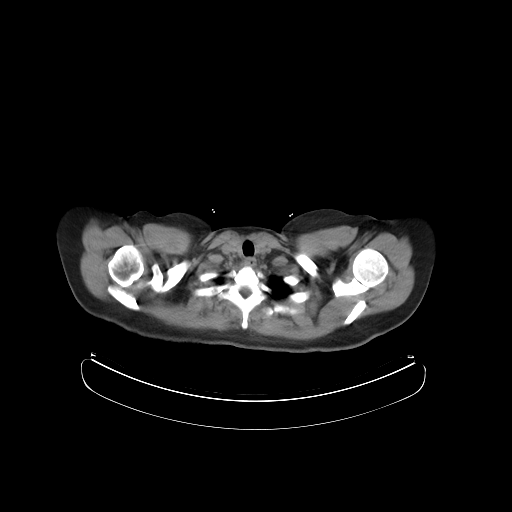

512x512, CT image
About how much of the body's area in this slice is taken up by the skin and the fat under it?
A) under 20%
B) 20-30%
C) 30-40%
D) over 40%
Answer: C) 30-40%
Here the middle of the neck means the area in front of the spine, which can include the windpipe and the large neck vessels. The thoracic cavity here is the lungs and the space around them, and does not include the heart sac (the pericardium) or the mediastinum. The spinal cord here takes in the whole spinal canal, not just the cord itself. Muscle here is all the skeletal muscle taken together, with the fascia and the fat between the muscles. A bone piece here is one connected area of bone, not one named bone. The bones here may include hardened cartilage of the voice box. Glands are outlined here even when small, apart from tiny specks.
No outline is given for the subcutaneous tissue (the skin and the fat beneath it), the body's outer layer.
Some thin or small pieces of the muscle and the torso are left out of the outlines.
Outlines:
thoracic cavity 1: (270, 276) (279, 276) (281, 277) (282, 278) (282, 281) (290, 288) (290, 290) (291, 292) (290, 292) (286, 296) (284, 297) (274, 297) (272, 295) (271, 295) (272, 293) (272, 289) (271, 287) (269, 286) (266, 283) (268, 281) (268, 279)
thoracic cavity 2: (224, 271) (227, 271) (227, 272) (226, 273) (224, 273) (222, 275) (222, 276) (223, 277) (224, 277) (224, 281) (222, 283) (217, 283) (217, 282) (216, 281) (214, 281) (214, 279) (216, 279) (220, 276) (220, 275) (221, 274) (220, 273) (220, 272) (223, 272)
muscle: (93, 217) (105, 226) (126, 221) (179, 227) (201, 246) (227, 230) (262, 231) (288, 244) (299, 234) (339, 225) (406, 235) (414, 285) (396, 308) (358, 319) (367, 307) (358, 298) (342, 321) (345, 326) (315, 339) (251, 333) (249, 314) (270, 294) (300, 304) (311, 291) (292, 291) (300, 281) (294, 274) (270, 275) (265, 282) (254, 267) (271, 248) (261, 240) (233, 239) (220, 251) (241, 266) (201, 273) (201, 282) (216, 283) (192, 293) (229, 301) (241, 313) (243, 330) (178, 328) (140, 312) (128, 289) (148, 286) (165, 293) (190, 261) (175, 263) (165, 277) (154, 262) (151, 277) (143, 281) (142, 253) (133, 243) (119, 246) (106, 264) (116, 284) (106, 290) (117, 301) (108, 303) (87, 289) (80, 272) (81, 232), around holes outlined by (366, 247) (372, 248) (378, 251) (386, 259) (388, 263) (388, 273) (385, 279) (376, 286) (372, 287) (357, 295) (335, 296) (332, 289) (332, 284) (337, 279) (340, 279) (344, 282) (349, 282) (352, 279) (353, 277) (353, 272) (352, 271) (353, 260) (357, 253) (361, 249) and by (298, 252) (302, 252) (303, 253) (304, 253) (307, 256) (308, 256) (315, 263) (315, 264) (317, 266) (317, 272) (318, 273) (318, 275) (316, 277) (313, 277) (309, 273) (308, 273) (296, 261) (296, 260) (295, 259) (295, 258) (294, 257) (294, 256) (295, 255) (295, 254) and by (274, 304) (280, 304) (281, 305) (284, 305) (289, 307) (297, 308) (300, 310) (300, 312) (293, 315) (291, 315) (288, 313) (280, 313) (279, 312) (274, 312) (271, 315) (268, 316) (266, 315) (264, 311) (264, 308) (266, 306) (268, 306) (269, 305) (270, 306) (272, 306)
middle of the neck: (246, 238) (254, 241) (254, 248) (257, 254) (263, 252) (265, 247) (264, 243) (266, 243) (270, 248) (270, 251) (265, 258) (253, 267) (249, 264) (242, 265) (234, 263) (226, 258) (221, 251) (221, 246) (230, 242) (229, 244) (234, 252) (238, 253) (240, 251) (241, 241)
thyroid glands 1: (256, 241) (261, 241) (262, 242) (263, 242) (263, 246) (264, 247) (263, 248) (263, 250) (262, 251) (262, 252) (261, 253) (257, 253) (256, 252) (256, 249) (255, 248) (255, 242)
thyroid glands 2: (233, 240) (239, 240) (240, 241) (240, 243) (239, 244) (239, 248) (238, 249) (239, 250) (239, 251) (238, 252) (235, 252) (235, 251) (234, 250) (234, 249) (232, 247) (232, 245) (231, 244) (230, 244) (231, 243) (231, 242)
torso: (319, 208) (367, 214) (347, 251) (348, 269) (365, 290) (399, 303) (422, 299) (405, 322) (361, 346) (289, 353) (167, 342) (94, 317) (75, 299) (118, 299) (150, 283) (155, 272) (152, 245) (130, 214) (139, 210) (189, 212) (213, 229) (255, 225) (278, 231) (290, 214)
right arm: (77, 202) (91, 202) (114, 209) (124, 215) (130, 215) (137, 225) (145, 233) (150, 242) (154, 256) (154, 272) (151, 280) (142, 290) (134, 294) (118, 298) (93, 298) (92, 297) (74, 297) (73, 296) (60, 261) (55, 239) (55, 229) (60, 213) (67, 206)
spinal cord: (244, 287) (245, 287) (246, 288) (247, 288) (248, 289) (249, 289) (249, 290) (250, 291) (250, 294) (248, 296) (247, 296) (246, 297) (244, 297) (241, 294) (241, 293) (240, 292) (240, 290) (242, 288) (243, 288)
left arm: (403, 213) (417, 213) (427, 217) (432, 222) (434, 226) (437, 238) (437, 251) (435, 262) (426, 292) (422, 298) (408, 302) (399, 302) (385, 299) (368, 291) (353, 277) (348, 265) (348, 251) (350, 244) (354, 238) (355, 232) (359, 224) (368, 214) (377, 218) (387, 218)
bones 1: (125, 244) (133, 244) (142, 255) (139, 280) (143, 282) (152, 277) (154, 263) (165, 278) (175, 264) (183, 260) (190, 263) (181, 279) (165, 292) (155, 292) (148, 285) (128, 288) (140, 307) (138, 311) (124, 306) (107, 290) (109, 285) (117, 284) (107, 264) (116, 249)
bones 2: (245, 265) (249, 265) (255, 271) (261, 271) (264, 274) (263, 281) (270, 287) (271, 293) (249, 312) (247, 328) (244, 330) (241, 327) (242, 313) (237, 306) (227, 299) (220, 300) (215, 295) (198, 296) (193, 291) (196, 288) (228, 282) (231, 279) (225, 274) with a hole at (244, 287) (245, 287) (246, 288) (247, 288) (248, 289) (249, 289) (249, 290) (250, 291) (250, 294) (248, 296) (247, 296) (246, 297) (244, 297) (241, 294) (241, 293) (240, 292) (240, 290) (242, 288) (243, 288)
bones 3: (366, 247) (372, 248) (378, 251) (386, 259) (388, 263) (388, 273) (385, 279) (376, 286) (372, 287) (357, 295) (335, 296) (332, 289) (332, 284) (337, 279) (340, 279) (344, 282) (349, 282) (352, 279) (353, 277) (353, 272) (352, 271) (353, 260) (357, 253) (361, 249)
bones 4: (298, 252) (302, 252) (303, 253) (304, 253) (307, 256) (308, 256) (315, 263) (315, 264) (317, 266) (317, 272) (318, 273) (318, 275) (316, 277) (313, 277) (309, 273) (308, 273) (296, 261) (296, 260) (295, 259) (295, 258) (294, 257) (294, 256) (295, 255) (295, 254)
bones 5: (358, 299) (363, 299) (366, 303) (366, 307) (362, 311) (362, 312) (359, 315) (359, 316) (351, 323) (350, 323) (348, 325) (343, 325) (343, 321) (344, 320) (344, 319) (347, 316) (347, 315) (353, 307) (354, 304) (357, 301) (357, 300)
bones 6: (274, 304) (280, 304) (281, 305) (284, 305) (289, 307) (297, 308) (300, 310) (300, 312) (293, 315) (291, 315) (288, 313) (280, 313) (279, 312) (274, 312) (271, 315) (268, 316) (266, 315) (264, 311) (264, 308) (266, 306) (268, 306) (269, 305) (270, 306) (272, 306)
bones 7: (306, 290) (308, 290) (309, 291) (310, 291) (310, 296) (309, 297) (309, 298) (307, 300) (306, 300) (303, 302) (301, 302) (300, 303) (296, 303) (295, 302) (290, 301) (287, 299) (287, 296) (290, 293) (291, 293) (292, 292) (298, 292) (299, 291) (305, 291)
bones 8: (213, 271) (214, 272) (216, 272) (217, 273) (218, 273) (218, 274) (219, 275) (216, 278) (214, 278) (213, 279) (210, 279) (209, 280) (208, 280) (207, 281) (201, 281) (198, 278) (199, 277) (199, 276) (201, 274) (202, 274) (203, 273) (204, 273) (205, 272) (212, 272)
bones 9: (289, 275) (294, 275) (296, 277) (297, 277) (298, 278) (298, 279) (299, 280) (299, 281) (295, 285) (294, 285) (293, 286) (289, 286) (287, 284) (286, 284) (283, 281) (283, 277) (284, 276) (288, 276)